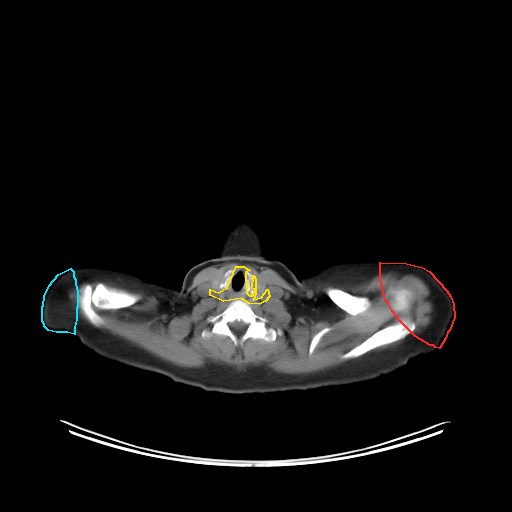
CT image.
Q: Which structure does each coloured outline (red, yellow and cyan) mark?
A: red: left arm; yellow: middle of the neck; cyan: right arm.
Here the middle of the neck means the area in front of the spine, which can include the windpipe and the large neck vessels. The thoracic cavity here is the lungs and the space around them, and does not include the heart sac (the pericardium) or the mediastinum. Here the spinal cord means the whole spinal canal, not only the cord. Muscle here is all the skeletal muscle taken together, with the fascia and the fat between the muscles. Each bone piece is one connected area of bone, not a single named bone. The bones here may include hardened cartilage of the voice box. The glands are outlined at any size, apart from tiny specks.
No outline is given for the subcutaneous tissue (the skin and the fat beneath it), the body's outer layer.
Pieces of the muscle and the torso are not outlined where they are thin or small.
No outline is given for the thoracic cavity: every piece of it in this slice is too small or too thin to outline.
Outlined structures:
left arm: [[380,262],[406,263],[422,267],[429,271],[446,290],[450,296],[453,304],[454,317],[449,330],[447,332],[445,338],[439,348],[435,347],[433,345],[430,345],[415,336],[400,321],[392,311],[388,303],[385,300],[382,289],[382,285],[380,280]]
middle of the neck: [[236,266],[243,266],[249,270],[245,272],[246,292],[249,295],[252,295],[255,291],[254,289],[252,288],[253,275],[255,278],[255,293],[253,299],[261,297],[267,289],[269,296],[265,301],[259,304],[249,303],[241,298],[223,301],[210,295],[210,289],[218,292],[227,287]]
right arm: [[70,268],[73,271],[73,276],[75,279],[75,284],[77,291],[77,307],[76,308],[76,319],[74,327],[74,334],[67,332],[56,332],[48,330],[44,326],[44,324],[42,321],[42,306],[43,305],[44,296],[49,285],[58,274]]
head and neck: [[238,217],[246,217],[249,220],[261,237],[264,253],[268,258],[284,264],[305,283],[308,304],[307,340],[294,374],[282,388],[275,392],[234,394],[207,391],[185,367],[178,350],[178,300],[183,279],[193,266],[213,258],[217,254],[224,235],[234,219]]
torso 1: [[349,261],[379,261],[379,280],[381,289],[384,300],[391,311],[415,337],[438,349],[431,354],[411,359],[403,367],[392,373],[382,375],[372,380],[348,385],[325,386],[306,390],[279,391],[295,374],[309,336],[309,304],[306,283],[303,277],[330,262]]
torso 2: [[80,266],[103,267],[117,270],[125,270],[137,274],[150,282],[179,290],[177,300],[178,354],[184,367],[197,379],[205,390],[199,387],[175,382],[159,373],[135,368],[102,357],[84,346],[74,335],[77,319],[78,291],[74,271],[72,268]]
thyroid glands 1: [[257,278],[259,278],[260,279],[261,279],[265,283],[265,285],[266,286],[266,291],[261,296],[260,296],[258,298],[253,298],[253,296],[256,293],[256,288],[255,287],[255,280]]
thyroid glands 2: [[218,276],[220,276],[220,279],[219,280],[219,284],[218,285],[218,287],[219,288],[219,290],[218,291],[215,291],[215,290],[212,287],[212,282]]
spinal cord: [[234,321],[241,321],[242,322],[243,322],[244,323],[245,323],[246,324],[247,324],[247,326],[246,327],[246,329],[242,334],[241,334],[240,335],[237,335],[235,333],[234,333],[233,332],[233,331],[230,328],[230,327],[229,326],[229,323],[231,323]]
bones 1: [[236,299],[246,301],[256,314],[266,317],[268,328],[279,328],[283,333],[277,335],[275,340],[271,342],[259,338],[248,338],[241,347],[235,346],[226,335],[214,334],[209,338],[202,338],[201,331],[210,330],[213,325],[207,318],[220,313],[230,302]] with a hole at [[234,321],[241,321],[242,322],[243,322],[244,323],[245,323],[246,324],[247,324],[247,326],[246,327],[246,329],[242,334],[241,334],[240,335],[237,335],[235,333],[234,333],[233,332],[233,331],[230,328],[230,327],[229,326],[229,323],[231,323]]
bones 2: [[99,282],[102,282],[108,286],[120,287],[133,293],[139,294],[140,298],[135,303],[127,307],[106,310],[96,309],[96,312],[101,316],[105,323],[103,326],[97,327],[92,325],[82,315],[74,298],[71,297],[70,294],[82,283],[89,283],[94,287]]
bones 3: [[402,287],[409,289],[412,294],[411,318],[415,323],[414,330],[401,339],[391,343],[375,347],[357,357],[350,359],[343,359],[342,355],[360,344],[377,330],[395,322],[398,319],[400,315],[394,311],[392,308],[390,304],[390,296],[391,291],[393,289]]
bones 4: [[330,286],[331,287],[339,288],[350,294],[352,294],[356,296],[366,296],[368,297],[371,301],[371,305],[365,313],[363,314],[362,313],[361,314],[357,314],[356,315],[351,315],[346,311],[340,308],[329,298],[325,291],[325,289],[327,287],[329,287]]
bones 5: [[325,327],[331,327],[331,329],[328,332],[325,333],[322,336],[322,337],[320,339],[319,342],[315,347],[312,354],[311,355],[310,355],[309,354],[309,346],[310,345],[310,342],[311,341],[313,336],[318,331],[319,331],[321,329],[322,329]]
bones 6: [[230,268],[232,268],[233,269],[233,271],[230,274],[230,281],[229,282],[229,283],[226,286],[226,287],[225,288],[220,288],[219,287],[219,285],[220,284],[220,283],[221,282],[222,282],[225,280],[225,277],[224,276],[224,273],[228,269],[229,269]]
bones 7: [[247,271],[249,271],[251,273],[251,274],[252,275],[252,277],[253,278],[253,279],[251,281],[251,288],[252,289],[253,289],[253,290],[254,291],[253,292],[253,293],[252,294],[249,294],[247,292],[247,276],[246,275],[246,272]]
muscle 1: [[238,256],[260,259],[262,264],[296,286],[319,282],[359,284],[387,272],[414,274],[431,290],[432,321],[422,331],[408,335],[416,328],[412,318],[413,294],[407,287],[396,287],[390,291],[389,304],[399,315],[397,319],[342,354],[341,358],[348,360],[330,369],[300,375],[278,373],[265,365],[241,371],[217,363],[199,368],[173,365],[80,319],[66,307],[68,287],[80,279],[101,279],[176,298],[186,291],[199,271]], around holes outlined by [[236,266],[247,268],[256,279],[265,283],[269,294],[266,300],[249,304],[256,314],[267,318],[268,328],[282,330],[274,341],[248,338],[238,347],[226,335],[202,338],[201,331],[210,330],[213,325],[207,318],[223,311],[230,302],[210,295],[212,282]] and by [[99,282],[102,282],[108,286],[120,287],[133,293],[139,294],[140,298],[135,303],[127,307],[106,310],[96,309],[96,312],[101,316],[105,323],[103,326],[97,327],[92,325],[82,315],[74,298],[71,297],[70,294],[82,283],[89,283],[94,287]] and by [[330,286],[331,287],[339,288],[350,294],[352,294],[356,296],[366,296],[368,297],[371,301],[371,305],[365,313],[363,314],[362,313],[361,314],[357,314],[356,315],[351,315],[346,311],[340,308],[329,298],[325,291],[325,289],[327,287],[329,287]] and by [[325,327],[331,327],[331,329],[328,332],[325,333],[322,336],[322,337],[320,339],[319,342],[315,347],[312,354],[311,355],[310,355],[309,354],[309,346],[310,345],[310,342],[311,341],[313,336],[318,331],[319,331],[321,329],[322,329]]
muscle 2: [[404,338],[404,339],[400,343],[399,343],[395,346],[393,346],[392,347],[388,347],[387,348],[385,348],[381,350],[377,350],[376,351],[370,351],[380,346],[383,346],[384,345],[391,344],[394,342],[396,342]]